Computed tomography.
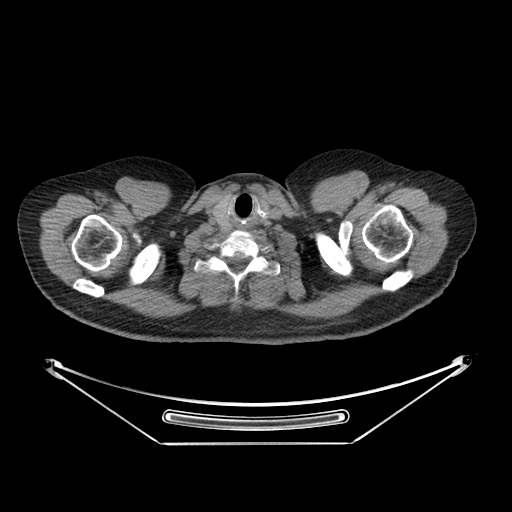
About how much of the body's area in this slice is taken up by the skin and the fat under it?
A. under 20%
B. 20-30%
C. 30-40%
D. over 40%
Answer: C. 30-40%
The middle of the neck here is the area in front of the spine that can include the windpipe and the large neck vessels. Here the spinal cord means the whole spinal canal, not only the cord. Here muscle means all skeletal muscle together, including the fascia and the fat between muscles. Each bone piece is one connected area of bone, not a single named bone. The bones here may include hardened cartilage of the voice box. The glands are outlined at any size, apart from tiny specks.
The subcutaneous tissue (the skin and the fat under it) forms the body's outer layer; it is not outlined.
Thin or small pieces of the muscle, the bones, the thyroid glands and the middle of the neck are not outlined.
{"spinal_cord":[[[234,256],[241,256],[244,258],[245,258],[246,257],[250,257],[250,259],[246,264],[245,267],[242,270],[241,270],[238,272],[235,272],[234,271],[233,271],[230,268],[230,267],[229,266],[229,265],[226,260],[226,258],[228,258],[229,257],[233,257]]],"muscle":[{"outer":[[352,169],[364,171],[371,181],[422,188],[445,205],[449,241],[429,272],[411,280],[411,268],[395,269],[381,281],[381,289],[390,292],[334,318],[308,320],[248,308],[238,313],[225,306],[150,318],[100,298],[105,288],[91,278],[80,276],[66,285],[46,267],[39,248],[42,210],[64,193],[113,187],[124,175],[170,186],[173,196],[159,214],[164,221],[179,216],[210,186],[226,181],[275,186],[304,211],[316,182]],"holes":[[[240,190],[253,192],[282,214],[273,226],[247,230],[257,243],[269,246],[264,255],[280,264],[280,272],[250,272],[236,297],[233,280],[224,271],[202,273],[193,266],[197,259],[206,260],[213,253],[205,243],[221,242],[233,230],[212,225],[205,209]],[[383,204],[393,204],[400,208],[403,213],[407,224],[413,232],[413,241],[410,246],[409,250],[402,257],[397,260],[393,262],[388,262],[387,263],[378,259],[374,255],[373,252],[367,248],[363,242],[361,236],[361,230],[366,220],[375,210],[379,208]],[[89,214],[99,214],[102,216],[117,229],[122,237],[122,245],[121,246],[120,251],[115,257],[112,258],[110,260],[110,263],[107,267],[98,271],[92,271],[82,266],[75,260],[71,251],[71,242],[76,234],[78,226],[81,220],[85,216]],[[345,219],[349,220],[352,223],[353,226],[349,242],[350,254],[348,256],[353,266],[353,270],[351,274],[347,277],[335,272],[325,262],[320,256],[314,240],[314,232],[315,231],[323,231],[337,242],[338,241],[338,231],[340,223]],[[152,242],[157,242],[160,245],[160,247],[161,248],[161,255],[159,258],[159,261],[156,267],[151,273],[151,274],[142,283],[138,284],[137,285],[130,285],[128,282],[128,280],[129,279],[128,278],[128,269],[132,264],[132,261],[134,257],[141,249]],[[134,231],[137,231],[139,233],[139,234],[140,235],[140,236],[141,237],[141,243],[140,244],[138,244],[137,243],[137,242],[136,241],[136,240],[132,236],[132,233]]]}],"torso":[[[334,148],[405,166],[360,210],[368,255],[452,280],[387,327],[282,345],[151,342],[79,322],[35,285],[97,277],[128,258],[128,215],[83,170],[143,155],[183,168],[197,187],[168,277],[182,307],[242,324],[294,303],[310,293],[311,237],[284,178]]],"left_arm":[[[405,167],[412,169],[427,168],[451,176],[459,180],[473,198],[477,215],[476,232],[468,250],[459,259],[455,275],[452,279],[427,274],[401,264],[395,264],[389,261],[371,257],[361,243],[356,226],[361,210],[371,200],[381,196],[397,175]]],"bones":[{"outer":[[235,229],[248,231],[257,243],[268,245],[269,250],[264,255],[266,259],[280,264],[280,272],[277,275],[250,272],[241,281],[236,297],[233,280],[224,271],[202,273],[196,272],[193,269],[197,259],[206,260],[213,253],[205,247],[205,243],[221,242]],"hole":[[234,256],[241,256],[244,258],[245,258],[246,257],[250,257],[250,259],[246,264],[245,267],[242,270],[241,270],[238,272],[235,272],[234,271],[233,271],[230,268],[230,267],[229,266],[229,265],[226,260],[226,258],[228,258],[229,257],[233,257]]},[[383,204],[393,204],[400,208],[403,213],[407,224],[413,232],[413,241],[410,246],[409,250],[402,257],[397,260],[393,262],[388,262],[387,263],[378,259],[374,255],[373,252],[367,248],[363,242],[361,236],[361,230],[366,220],[375,210],[379,208]],[[89,214],[99,214],[102,216],[117,229],[122,237],[122,245],[121,246],[120,251],[115,257],[112,258],[110,260],[110,263],[107,267],[98,271],[92,271],[82,266],[75,260],[71,251],[71,242],[76,234],[78,226],[81,220],[85,216]],[[345,219],[349,220],[352,223],[353,226],[349,242],[350,254],[348,256],[353,266],[353,270],[351,274],[347,277],[335,272],[325,262],[320,256],[314,240],[314,232],[315,231],[323,231],[337,242],[338,241],[338,231],[340,223]],[[152,242],[157,242],[160,245],[160,247],[161,248],[161,255],[159,258],[159,261],[156,267],[151,273],[151,274],[142,283],[138,284],[137,285],[130,285],[128,282],[128,280],[129,279],[128,278],[128,269],[132,264],[132,261],[134,257],[141,249]],[[398,269],[399,270],[405,270],[406,269],[411,269],[413,271],[413,276],[412,278],[405,285],[404,285],[399,289],[393,292],[391,292],[390,291],[384,291],[382,289],[382,281],[383,279],[385,277],[389,275],[392,272]],[[80,277],[85,277],[88,279],[91,279],[96,283],[98,283],[102,285],[104,288],[104,294],[103,296],[99,297],[98,298],[96,298],[90,295],[88,295],[84,293],[81,293],[74,289],[72,287],[72,285],[74,281],[77,278],[79,278]],[[253,196],[254,196],[256,198],[256,199],[257,200],[257,203],[259,205],[259,206],[260,207],[260,208],[265,212],[265,215],[266,216],[266,217],[264,217],[263,218],[257,212],[257,211],[253,206],[253,203],[254,202],[254,200],[253,199]]],"middle_of_the_neck":[[[240,190],[249,190],[259,196],[263,209],[254,195],[252,196],[252,206],[264,220],[270,212],[270,207],[275,207],[282,214],[280,221],[269,227],[252,227],[247,230],[239,228],[226,229],[229,224],[228,215],[232,211],[235,199],[231,198],[231,194]],[[208,207],[212,207],[213,208],[213,209],[212,210],[212,213],[214,216],[214,218],[215,219],[215,221],[217,223],[217,224],[219,226],[214,226],[213,225],[212,225],[211,224],[211,223],[209,221],[209,219],[207,217],[207,216],[205,214],[205,209]]],"right_arm":[[[77,171],[83,171],[109,192],[127,215],[130,222],[132,237],[132,244],[130,247],[129,254],[127,258],[118,267],[109,272],[100,274],[97,276],[74,281],[34,283],[25,263],[17,234],[16,216],[19,204],[26,192],[34,185],[41,181],[51,177]]],"thyroid_glands":[[[225,195],[230,195],[230,198],[229,199],[229,201],[227,205],[227,212],[226,213],[227,215],[227,223],[228,224],[226,227],[223,228],[221,227],[216,221],[215,216],[213,213],[213,210],[214,209],[214,206],[215,204],[218,201],[218,200]],[[263,201],[266,201],[268,203],[268,204],[269,205],[269,212],[268,213],[268,214],[267,215],[267,216],[266,215],[266,212],[264,210],[264,206],[263,205]]],"head_and_neck":[[[236,172],[255,172],[264,174],[284,185],[310,237],[309,293],[294,302],[256,317],[251,320],[242,323],[228,323],[206,315],[203,315],[200,313],[197,313],[182,306],[177,300],[169,280],[169,277],[185,213],[189,202],[192,199],[199,187],[210,181]]]}